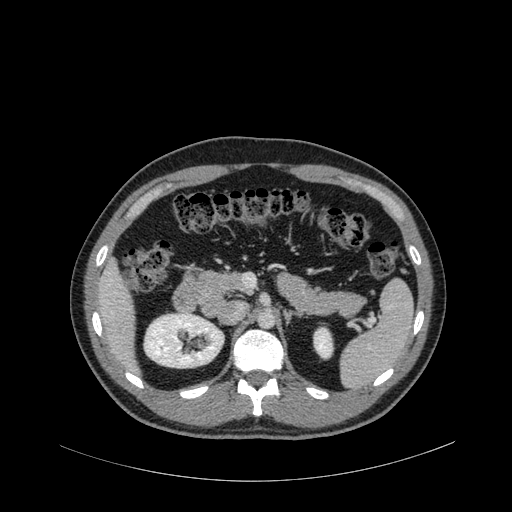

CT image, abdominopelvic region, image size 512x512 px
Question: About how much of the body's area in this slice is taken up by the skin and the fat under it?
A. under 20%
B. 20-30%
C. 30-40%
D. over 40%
Answer: A. under 20%
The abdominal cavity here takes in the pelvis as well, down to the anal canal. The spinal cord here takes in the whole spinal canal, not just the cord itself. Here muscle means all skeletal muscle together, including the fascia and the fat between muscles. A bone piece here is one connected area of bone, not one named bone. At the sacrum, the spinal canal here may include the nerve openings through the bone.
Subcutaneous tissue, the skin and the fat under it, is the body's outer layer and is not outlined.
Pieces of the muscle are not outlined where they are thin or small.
{"muscle":[[[309,428],[339,423],[367,409],[406,375],[424,345],[433,276],[407,206],[381,183],[323,164],[198,165],[154,178],[133,191],[106,224],[87,262],[84,311],[92,347],[109,376],[152,411],[170,420],[203,427],[254,416],[249,397],[236,392],[239,372],[233,366],[232,355],[230,367],[206,384],[210,387],[207,392],[198,398],[183,399],[178,395],[179,389],[161,390],[145,382],[140,389],[130,383],[123,374],[126,368],[111,353],[103,336],[99,337],[92,328],[90,318],[97,309],[101,269],[95,266],[94,258],[104,243],[111,251],[134,219],[124,217],[127,208],[159,183],[172,183],[161,196],[253,165],[270,166],[304,180],[338,184],[362,193],[340,178],[351,177],[378,187],[402,207],[405,219],[401,222],[383,207],[398,225],[405,245],[412,243],[420,252],[422,263],[414,265],[417,310],[425,313],[423,325],[415,336],[410,335],[392,366],[392,376],[376,387],[369,384],[358,390],[328,391],[328,399],[314,399],[304,390],[307,385],[294,378],[284,362],[276,372],[281,395],[265,396],[260,416]]],"spinal_cord":[[[257,387],[258,386],[260,386],[261,385],[264,384],[269,376],[269,375],[266,372],[265,372],[262,370],[253,370],[252,371],[250,371],[249,372],[248,372],[245,375],[245,377],[246,378],[247,381],[250,384],[251,384],[254,386],[256,386]]],"abdominal_cavity":[[[333,391],[371,383],[399,357],[412,329],[417,302],[414,266],[397,225],[377,200],[338,185],[253,166],[153,200],[121,234],[102,265],[97,310],[112,353],[143,381],[161,389],[211,382],[229,367],[235,340],[248,328],[260,328],[281,341],[294,377]]],"bones":[{"outer":[[255,416],[259,416],[262,413],[261,400],[265,395],[280,395],[275,372],[282,367],[283,347],[276,336],[270,332],[260,329],[248,329],[236,340],[233,345],[232,352],[234,366],[240,372],[237,382],[237,392],[247,394],[250,397],[253,403],[252,413]],"hole":[[257,387],[258,386],[260,386],[261,385],[264,384],[269,376],[269,375],[266,372],[265,372],[262,370],[253,370],[252,371],[250,371],[249,372],[248,372],[245,375],[245,377],[246,378],[247,381],[250,384],[251,384],[254,386],[256,386]]},[[400,221],[404,219],[403,210],[389,195],[378,188],[369,184],[366,184],[360,181],[354,180],[351,178],[341,178],[347,183],[352,185],[354,187],[357,187],[358,189],[360,189],[366,194],[377,199],[383,205],[385,205],[390,210],[392,215],[396,219]],[[128,219],[132,219],[136,217],[146,207],[146,206],[153,199],[157,197],[165,188],[169,187],[171,185],[171,183],[167,183],[166,182],[163,184],[159,184],[153,188],[150,189],[147,192],[138,198],[128,208],[125,214],[125,217]],[[183,398],[194,398],[195,397],[198,397],[199,396],[202,395],[206,391],[207,391],[207,390],[209,387],[207,385],[203,385],[202,386],[199,386],[198,387],[196,387],[195,388],[191,388],[190,389],[180,389],[179,390],[179,395],[181,397],[182,397]],[[318,399],[326,399],[327,398],[328,398],[329,397],[329,394],[327,391],[324,391],[323,390],[318,390],[313,387],[310,387],[309,386],[307,386],[306,387],[305,387],[305,390],[309,395],[310,395],[312,397],[313,397],[314,398],[317,398]],[[96,266],[100,266],[103,263],[103,262],[104,261],[104,260],[105,259],[105,258],[106,257],[106,256],[109,251],[109,246],[107,244],[104,244],[99,249],[99,250],[96,255],[96,257],[95,258],[95,264],[96,265]],[[413,335],[415,335],[419,331],[419,330],[422,325],[422,323],[423,322],[423,318],[424,317],[424,313],[422,310],[418,310],[416,312],[416,315],[415,316],[415,318],[414,319],[414,323],[413,324],[413,327],[412,328],[413,329],[412,330],[412,334]],[[416,265],[419,265],[421,263],[421,258],[420,257],[420,255],[419,254],[419,252],[417,250],[417,249],[412,244],[410,244],[409,245],[406,246],[406,248],[408,251],[408,253],[409,254],[409,255],[410,256],[410,257],[411,258],[413,263]],[[99,336],[102,336],[102,328],[101,327],[101,322],[100,321],[100,319],[99,318],[99,315],[96,310],[95,311],[93,311],[93,312],[92,313],[92,317],[91,318],[91,320],[92,321],[92,324],[93,325],[93,328],[94,329],[95,332]],[[374,386],[379,385],[381,383],[385,381],[388,378],[389,378],[393,373],[394,371],[394,369],[392,367],[390,367],[388,368],[387,370],[386,370],[384,372],[380,374],[374,380],[374,381],[372,383],[372,384]],[[140,388],[143,388],[143,387],[144,386],[142,380],[139,377],[136,376],[134,374],[133,374],[128,370],[126,370],[125,371],[125,373],[124,374],[125,375],[126,378],[130,382],[131,382],[133,384],[134,384],[136,386],[137,386]]],"torso":[[[286,440],[331,436],[361,427],[388,412],[411,388],[436,347],[445,316],[446,281],[440,252],[426,219],[411,197],[390,177],[361,159],[292,138],[231,135],[200,140],[141,167],[99,214],[72,270],[69,311],[73,331],[97,380],[136,420],[195,438]]]}